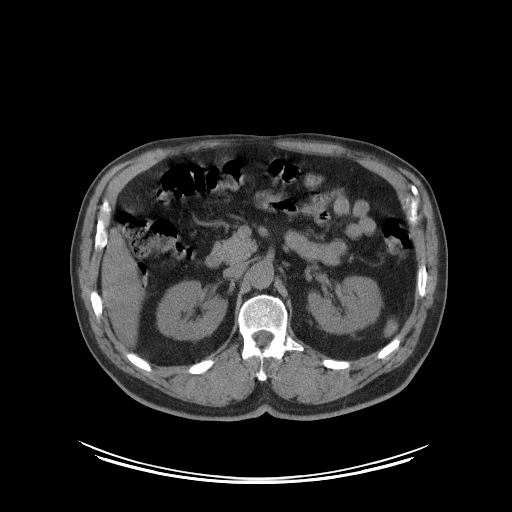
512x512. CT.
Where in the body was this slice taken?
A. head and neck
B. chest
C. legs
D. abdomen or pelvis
D. abdomen or pelvis
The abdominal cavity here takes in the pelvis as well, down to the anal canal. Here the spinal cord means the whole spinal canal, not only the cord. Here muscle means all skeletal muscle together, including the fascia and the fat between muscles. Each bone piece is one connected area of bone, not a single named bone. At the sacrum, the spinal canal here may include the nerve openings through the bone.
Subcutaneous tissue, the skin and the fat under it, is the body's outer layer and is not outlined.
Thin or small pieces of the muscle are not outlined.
The abdominal cavity is outlined by 248 144; 343 156; 383 177; 395 189; 413 234; 416 283; 409 315; 379 350; 350 360; 328 357; 296 336; 283 300; 267 293; 245 299; 228 339; 190 365; 152 364; 129 351; 114 335; 98 292; 98 271; 119 193; 134 177; 168 157. The torso is outlined by 294 131; 374 143; 412 164; 429 182; 441 213; 448 251; 445 308; 429 353; 409 383; 395 395; 329 418; 301 421; 265 412; 238 421; 202 421; 138 402; 93 357; 75 314; 69 253; 78 211; 89 185; 110 161; 155 139; 200 133. The bones appear in 9 outlined pieces: piece 1: 259 294; 276 296; 282 300; 288 314; 286 332; 303 347; 302 351; 287 350; 280 360; 272 356; 265 358; 263 369; 267 378; 263 381; 256 377; 260 367; 259 359; 256 356; 246 359; 242 358; 243 338; 239 332; 237 322; 243 302 with a hole at 261 330; 263 330; 264 331; 267 331; 268 332; 271 333; 273 336; 272 337; 271 340; 269 342; 269 343; 262 347; 260 347; 259 346; 258 346; 256 343; 256 341; 253 338; 253 334; 254 333; 255 333; 258 331; 260 331; piece 2: 105 198; 108 200; 109 202; 109 205; 111 208; 110 216; 109 217; 109 221; 108 222; 108 224; 106 226; 106 231; 107 232; 107 241; 102 250; 98 250; 96 251; 94 249; 94 237; 96 232; 96 223; 99 215; 99 207; 103 199; piece 3: 411 184; 414 185; 417 188; 418 190; 418 194; 419 195; 419 201; 417 207; 417 216; 418 219; 417 222; 414 224; 410 224; 407 219; 408 206; 406 205; 405 203; 405 198; 407 196; 410 196; 412 194; 410 190; 410 185; piece 4: 422 262; 423 262; 425 264; 426 271; 428 275; 428 277; 427 278; 427 281; 426 282; 426 293; 423 297; 421 297; 419 296; 418 294; 418 292; 417 291; 417 289; 416 288; 416 284; 417 283; 417 270; 418 269; 418 266; piece 5: 209 358; 211 358; 212 359; 213 359; 214 360; 214 363; 211 366; 211 367; 210 367; 203 373; 200 373; 199 374; 193 374; 192 373; 189 373; 187 371; 187 369; 192 364; 194 364; 197 362; 199 362; 204 359; 208 359; piece 6: 92 290; 95 290; 96 291; 97 291; 97 292; 99 294; 99 295; 101 298; 101 301; 102 302; 102 314; 99 319; 97 319; 96 318; 96 317; 95 316; 95 314; 93 311; 92 306; 91 305; 91 301; 90 300; 90 291; 91 291; piece 7: 397 335; 399 335; 400 336; 400 342; 399 343; 399 345; 398 347; 395 350; 392 351; 384 358; 382 358; 381 359; 379 359; 377 358; 376 357; 376 355; 377 353; 385 345; 386 345; 390 341; 391 341; 394 338; 394 337; 395 337; piece 8: 326 358; 331 358; 332 359; 335 359; 336 360; 346 360; 347 361; 349 361; 350 362; 350 366; 349 367; 349 368; 345 368; 344 369; 332 369; 331 368; 327 368; 321 364; 321 361; 323 359; 325 359; piece 9: 126 352; 133 352; 134 353; 135 353; 141 358; 144 359; 147 362; 148 362; 149 363; 152 370; 149 372; 148 371; 147 371; 146 370; 144 370; 143 369; 136 366; 134 364; 133 364; 125 356; 125 353. The spinal cord is outlined by 261 330; 263 330; 264 331; 267 331; 268 332; 271 333; 273 336; 272 337; 271 340; 269 342; 269 343; 262 347; 260 347; 259 346; 258 346; 256 343; 256 341; 253 338; 253 334; 254 333; 255 333; 258 331; 260 331. The muscle is outlined by 253 137; 260 137; 263 139; 272 141; 280 139; 298 139; 307 141; 329 142; 339 144; 352 150; 362 151; 365 153; 374 155; 387 163; 395 164; 397 166; 408 170; 415 175; 420 180; 425 188; 431 203; 434 216; 434 222; 436 227; 436 233; 438 237; 437 283; 433 294; 433 302; 432 305; 427 310; 427 314; 422 326; 418 341; 411 355; 401 365; 390 371; 380 374; 362 387; 345 396; 332 401; 319 404; 306 404; 288 400; 279 396; 272 390; 268 384; 265 383; 262 384; 260 383; 256 385; 252 392; 241 402; 231 406; 221 406; 220 407; 207 406; 193 402; 184 401; 173 397; 164 393; 159 389; 151 386; 142 380; 130 375; 118 368; 111 362; 101 350; 95 339; 95 336; 91 329; 88 317; 88 312; 81 297; 81 289; 79 286; 79 278; 78 277; 78 268; 80 265; 80 243; 84 217; 90 199; 94 193; 99 181; 112 167; 119 163; 129 160; 146 151; 156 148; 175 147; 205 140; 216 140; 217 139; 235 139; 236 140; inner edge: 248 144; 352 159; 393 186; 406 214; 410 185; 417 188; 418 219; 409 225; 416 263; 418 266; 423 262; 428 275; 426 293; 421 297; 415 289; 411 311; 397 334; 399 345; 384 358; 377 358; 378 352; 374 351; 351 359; 349 368; 327 368; 321 361; 328 356; 298 338; 289 319; 286 332; 303 350; 287 350; 280 360; 265 358; 267 378; 261 381; 256 377; 259 359; 242 358; 243 338; 236 320; 228 339; 204 358; 214 363; 203 373; 189 373; 189 364; 151 363; 149 372; 125 356; 129 351; 114 335; 104 311; 96 318; 90 291; 98 290; 102 251; 94 249; 94 237; 103 199; 112 209; 128 182; 168 157.